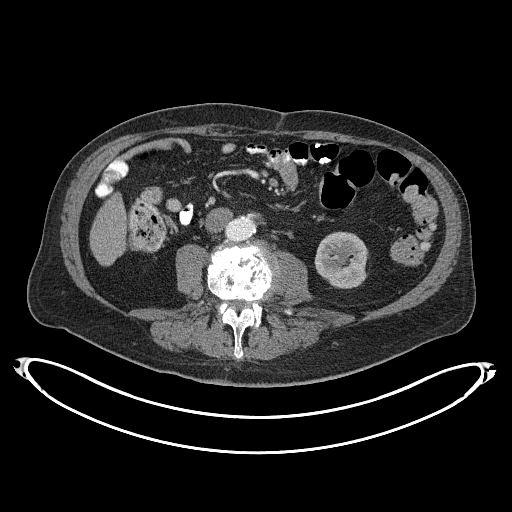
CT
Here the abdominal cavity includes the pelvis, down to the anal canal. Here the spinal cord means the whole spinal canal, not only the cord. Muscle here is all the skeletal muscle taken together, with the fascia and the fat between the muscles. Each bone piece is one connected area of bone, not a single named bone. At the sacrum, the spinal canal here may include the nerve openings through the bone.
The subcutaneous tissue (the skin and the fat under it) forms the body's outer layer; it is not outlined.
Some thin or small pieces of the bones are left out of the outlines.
{"spinal_cord":[[[237,311],[239,311],[241,309],[242,309],[244,307],[245,307],[247,305],[247,304],[244,301],[232,301],[231,302],[229,302],[230,303],[230,305],[232,307],[233,307]]],"abdominal_cavity":[[[353,313],[385,305],[416,285],[444,239],[443,209],[431,183],[391,149],[290,135],[159,134],[122,150],[88,193],[79,226],[84,270],[102,296],[125,310],[187,302],[176,288],[174,267],[185,243],[210,253],[222,244],[259,240],[306,264],[310,304]]],"torso":[[[236,387],[281,387],[335,379],[454,334],[469,322],[476,291],[468,204],[453,174],[427,147],[399,130],[351,114],[329,110],[282,112],[238,103],[205,102],[127,119],[93,138],[67,162],[52,190],[40,245],[28,275],[26,300],[32,317],[146,368]]],"bones":[{"outer":[[237,359],[243,355],[241,339],[244,330],[248,326],[259,326],[262,316],[262,306],[259,303],[270,294],[278,280],[276,260],[266,245],[259,241],[243,241],[222,245],[208,255],[206,284],[210,292],[220,301],[218,310],[221,321],[233,329],[233,353]],"hole":[[237,311],[239,311],[241,309],[242,309],[244,307],[245,307],[247,305],[247,304],[244,301],[232,301],[231,302],[229,302],[230,303],[230,305],[232,307],[233,307]]}],"muscle":[{"outer":[[263,363],[295,356],[336,329],[411,308],[440,288],[456,264],[461,239],[459,204],[442,173],[402,147],[322,130],[262,130],[209,123],[127,134],[99,147],[81,164],[65,195],[60,228],[64,264],[88,296],[131,318],[161,347],[201,361],[236,359],[232,329],[220,321],[219,301],[205,284],[205,248],[185,244],[176,252],[177,288],[188,299],[179,308],[125,311],[102,297],[84,273],[78,241],[82,206],[101,169],[122,149],[166,132],[290,134],[382,145],[402,154],[427,176],[444,209],[444,243],[427,275],[385,306],[353,314],[310,305],[313,296],[307,287],[305,264],[287,251],[272,252],[279,280],[260,303],[262,323],[258,328],[248,327],[243,334],[240,359]],"hole":[[287,314],[288,314],[289,314],[290,314],[291,314],[292,314],[292,313],[292,312],[292,311],[291,310],[291,309],[290,309],[289,308],[288,308],[287,308],[286,308],[285,308],[284,309],[284,310],[284,311],[284,312],[285,313],[286,313]]}]}